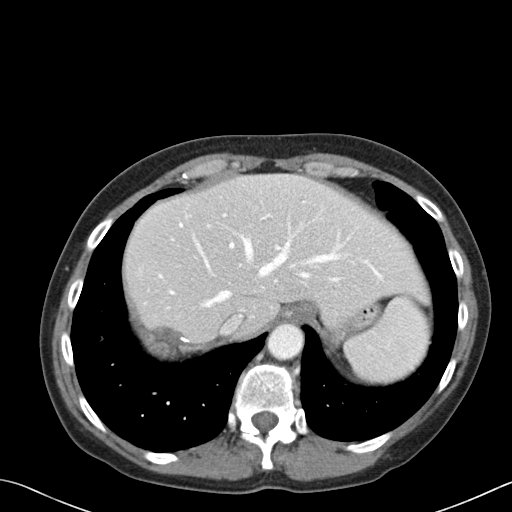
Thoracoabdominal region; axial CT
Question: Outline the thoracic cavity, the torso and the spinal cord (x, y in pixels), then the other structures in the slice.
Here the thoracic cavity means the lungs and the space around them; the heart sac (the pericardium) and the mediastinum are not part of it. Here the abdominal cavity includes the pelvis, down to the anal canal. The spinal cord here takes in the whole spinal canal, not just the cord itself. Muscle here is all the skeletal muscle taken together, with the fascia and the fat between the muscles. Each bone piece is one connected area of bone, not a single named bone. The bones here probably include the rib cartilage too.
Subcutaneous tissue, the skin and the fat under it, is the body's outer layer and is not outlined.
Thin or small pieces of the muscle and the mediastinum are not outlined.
Answer: The thoracic cavity appears in 2 outlined pieces: piece 1: [[164,188],[179,191],[156,199],[139,214],[131,226],[121,257],[126,320],[141,350],[157,362],[182,364],[266,332],[263,346],[238,377],[222,430],[203,443],[172,452],[135,445],[102,421],[78,381],[70,335],[73,313],[94,250],[122,214],[144,196]]; piece 2: [[374,180],[399,188],[437,222],[456,279],[456,332],[436,387],[415,412],[377,436],[342,441],[314,432],[307,423],[300,392],[303,326],[315,331],[325,358],[344,383],[363,388],[391,386],[415,374],[428,356],[435,327],[430,282],[413,244],[378,207]]. The torso is outlined by [[308,132],[356,135],[406,154],[441,182],[462,211],[485,265],[491,320],[478,369],[454,413],[406,463],[372,482],[320,492],[222,494],[173,488],[126,476],[84,452],[68,436],[51,403],[38,341],[51,274],[82,211],[118,173],[173,144],[223,134]]. The spinal cord is outlined by [[263,411],[267,411],[268,412],[270,412],[271,413],[273,413],[277,417],[277,422],[276,423],[276,424],[270,429],[269,429],[266,432],[262,432],[253,423],[253,422],[252,421],[252,417],[255,414],[256,414],[257,413],[259,413],[260,412],[262,412]]. The muscle appears in 2 outlined pieces: piece 1: [[441,210],[463,249],[471,270],[472,288],[478,309],[473,345],[463,375],[455,388],[424,421],[391,445],[373,465],[345,475],[309,481],[292,479],[277,470],[238,480],[164,474],[144,468],[115,451],[84,429],[67,408],[55,379],[52,337],[61,297],[86,239],[86,249],[92,254],[84,277],[75,278],[69,286],[66,302],[68,308],[73,311],[71,327],[70,333],[64,330],[60,334],[60,350],[65,363],[75,370],[82,392],[77,397],[79,407],[97,429],[106,433],[107,427],[121,438],[144,449],[142,455],[147,461],[160,465],[176,462],[179,457],[173,452],[211,440],[226,425],[231,431],[238,426],[239,437],[259,448],[260,466],[263,470],[271,470],[274,467],[271,452],[277,442],[291,444],[299,435],[307,435],[311,430],[327,439],[357,442],[342,447],[349,452],[362,454],[376,450],[433,392],[439,394],[448,385],[456,369],[457,359],[451,356],[452,350],[457,331],[462,331],[468,321],[469,310],[463,299],[458,300],[457,280],[464,273],[463,259],[456,248],[446,247],[438,224],[444,220]]; piece 2: [[221,152],[264,156],[270,158],[288,158],[297,155],[305,155],[315,152],[343,155],[362,161],[392,174],[413,186],[429,198],[419,193],[415,194],[412,197],[405,191],[390,182],[369,177],[356,177],[360,174],[360,171],[355,167],[335,166],[332,163],[325,161],[311,160],[305,162],[303,164],[305,172],[284,169],[275,166],[272,163],[262,163],[257,167],[247,170],[225,172],[221,171],[229,165],[232,167],[238,167],[240,163],[235,160],[229,163],[223,158],[213,158],[199,163],[190,169],[183,171],[180,174],[180,178],[189,181],[185,183],[174,183],[144,195],[116,219],[112,216],[107,216],[104,218],[110,210],[121,203],[126,198],[143,188],[167,171],[195,157]]. The abdominal cavity is outlined by [[262,164],[347,178],[387,212],[412,244],[429,282],[434,327],[426,358],[405,380],[381,387],[345,383],[326,358],[316,331],[290,311],[256,337],[182,363],[157,361],[140,347],[128,324],[121,278],[124,248],[134,222],[156,200],[180,191],[168,186]]. The mediastinum appears in 2 outlined pieces: piece 1: [[286,312],[290,312],[299,316],[302,320],[307,323],[302,326],[302,329],[305,334],[305,342],[301,353],[300,365],[290,370],[285,365],[280,365],[272,362],[264,362],[257,363],[243,371],[264,346],[268,330],[270,329],[274,322],[282,314],[285,314]]; piece 2: [[348,178],[369,178],[370,179],[373,179],[371,183],[371,185],[374,192],[375,201],[374,201],[372,199],[372,198],[370,197],[370,196],[365,190],[362,189],[362,188],[360,187],[359,185],[356,185],[355,183],[352,183],[351,181],[347,179]]. The bones appear in 13 outlined pieces: piece 1: [[264,363],[285,366],[290,371],[300,366],[296,377],[299,382],[300,405],[310,429],[307,434],[299,434],[291,443],[277,441],[273,445],[270,452],[273,464],[271,469],[262,468],[260,448],[240,437],[238,425],[234,430],[227,426],[228,412],[240,375]] with a hole at [[263,411],[267,411],[268,412],[270,412],[271,413],[273,413],[277,417],[277,422],[276,423],[276,424],[270,429],[269,429],[266,432],[262,432],[253,423],[253,422],[252,421],[252,417],[255,414],[256,414],[257,413],[259,413],[260,412],[262,412]]; piece 2: [[311,161],[325,162],[326,163],[332,164],[335,167],[351,167],[352,168],[355,168],[359,171],[359,174],[355,177],[349,177],[348,176],[339,176],[335,174],[331,174],[328,176],[311,174],[306,172],[304,167],[304,164],[305,163],[307,162],[310,162]]; piece 3: [[213,159],[223,159],[228,162],[229,164],[231,162],[235,161],[239,163],[238,166],[232,166],[229,164],[226,167],[218,172],[209,173],[199,177],[192,177],[189,179],[183,179],[181,178],[181,174],[183,172],[190,170],[199,164],[201,164],[204,162]]; piece 4: [[391,430],[393,430],[393,432],[391,436],[382,445],[381,445],[374,450],[368,451],[367,452],[363,452],[362,453],[356,453],[352,451],[346,450],[343,447],[351,443],[357,443],[358,442],[365,441],[366,440],[368,440],[369,439],[377,437]]; piece 5: [[107,217],[112,217],[114,218],[115,220],[108,229],[106,233],[103,236],[103,237],[96,246],[96,247],[92,251],[89,251],[87,249],[87,247],[86,246],[88,236],[90,234],[92,230],[96,226],[96,225],[99,222],[100,222]]; piece 6: [[81,393],[83,394],[89,405],[92,408],[92,409],[95,412],[101,421],[106,426],[106,428],[107,429],[106,432],[103,432],[97,428],[93,424],[92,424],[84,414],[83,411],[80,407],[80,405],[79,404],[79,400],[78,399],[78,397]]; piece 7: [[145,450],[149,450],[153,452],[171,452],[172,453],[174,453],[176,454],[178,457],[178,459],[176,461],[169,462],[165,464],[160,464],[159,463],[154,463],[153,462],[151,462],[147,460],[144,457],[143,455],[143,452]]; piece 8: [[417,194],[419,194],[420,195],[421,195],[422,196],[429,199],[434,204],[435,204],[437,206],[437,207],[440,210],[440,211],[443,216],[443,220],[442,221],[439,221],[438,222],[433,217],[432,217],[413,198],[413,197],[415,195],[416,195]]; piece 9: [[79,277],[83,277],[84,278],[83,279],[83,284],[82,285],[81,291],[80,292],[78,300],[76,303],[76,305],[74,309],[73,310],[71,310],[69,308],[68,303],[67,302],[67,300],[68,299],[68,294],[69,293],[69,289],[71,284],[74,280]]; piece 10: [[64,331],[67,331],[69,333],[69,335],[70,336],[70,342],[71,343],[71,348],[72,349],[72,354],[73,355],[73,362],[74,363],[74,367],[71,367],[69,366],[66,363],[64,359],[64,357],[63,356],[62,351],[61,350],[61,334],[62,332]]; piece 11: [[451,357],[454,357],[456,359],[456,365],[455,366],[455,369],[453,372],[453,374],[452,375],[449,382],[447,384],[447,385],[439,393],[436,393],[434,391],[437,387],[437,386],[438,385],[438,383],[439,382],[439,381],[447,366],[447,364],[449,362]]; piece 12: [[448,248],[454,248],[456,249],[461,256],[461,258],[462,259],[462,262],[463,263],[463,273],[462,274],[462,276],[459,279],[457,279],[456,278],[455,273],[453,270],[453,268],[452,267],[452,265],[451,264],[451,262],[449,258],[448,251],[447,250]]; piece 13: [[460,300],[463,300],[466,303],[466,304],[467,305],[467,309],[468,310],[468,317],[467,318],[467,321],[466,322],[466,323],[465,324],[463,329],[462,330],[460,330],[459,331],[458,330],[457,330],[457,316],[458,315],[458,306],[459,305],[459,301]].